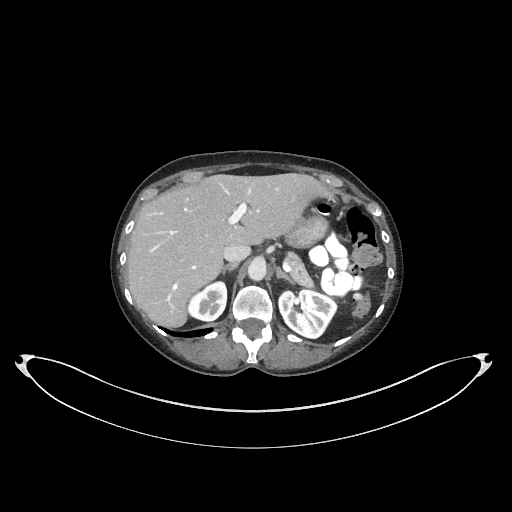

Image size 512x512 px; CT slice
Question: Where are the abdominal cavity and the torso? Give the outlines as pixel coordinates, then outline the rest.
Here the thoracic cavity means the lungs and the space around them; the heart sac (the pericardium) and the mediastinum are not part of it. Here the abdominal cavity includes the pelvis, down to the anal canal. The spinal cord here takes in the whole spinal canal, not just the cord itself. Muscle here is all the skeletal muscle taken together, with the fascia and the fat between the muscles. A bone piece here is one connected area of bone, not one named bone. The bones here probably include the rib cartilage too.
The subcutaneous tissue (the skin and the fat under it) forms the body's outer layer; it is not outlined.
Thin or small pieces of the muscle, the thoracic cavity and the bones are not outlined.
Answer: The abdominal cavity is outlined by 325 344; 334 343; 369 319; 381 301; 387 277; 380 229; 360 196; 307 172; 249 166; 174 183; 144 201; 130 233; 126 275; 134 303; 150 321; 174 331; 214 329; 231 307; 236 292; 245 285; 257 284; 268 291; 277 315; 290 332. The torso is outlined by 212 376; 232 376; 248 368; 273 376; 317 372; 363 350; 390 321; 403 285; 404 262; 399 232; 383 200; 345 166; 324 158; 270 150; 196 153; 161 165; 129 196; 116 223; 109 253; 110 280; 119 308; 136 333; 165 358; 188 370. The muscle appears in 2 outlined pieces: piece 1: 216 370; 234 369; 247 363; 245 361; 247 357; 245 347; 243 344; 235 343; 231 339; 230 331; 235 324; 231 308; 229 309; 226 317; 215 329; 218 331; 218 335; 215 338; 184 338; 169 334; 165 337; 152 328; 152 323; 139 311; 135 304; 130 305; 124 297; 123 289; 127 286; 125 264; 122 266; 119 263; 118 258; 122 251; 127 250; 129 234; 127 235; 124 233; 124 226; 129 220; 135 219; 139 207; 143 203; 143 201; 139 198; 140 196; 149 188; 156 187; 159 191; 174 182; 181 181; 181 176; 190 171; 200 170; 204 173; 203 175; 205 175; 216 171; 224 171; 243 166; 263 165; 307 171; 316 176; 320 173; 332 174; 343 181; 344 184; 341 187; 348 187; 353 192; 360 195; 365 200; 367 205; 370 202; 379 205; 351 181; 329 171; 314 167; 289 163; 284 164; 247 161; 242 163; 215 164; 184 169; 151 183; 139 193; 122 228; 117 247; 118 257; 116 268; 118 272; 119 286; 124 299; 134 315; 170 350; 190 362; piece 2: 276 370; 302 368; 321 362; 366 334; 379 320; 389 303; 397 280; 393 238; 383 212; 374 218; 390 237; 390 241; 384 243; 386 264; 394 269; 395 275; 392 279; 386 280; 381 302; 385 304; 382 313; 377 318; 373 315; 350 334; 352 337; 348 341; 334 347; 333 343; 325 345; 304 340; 299 343; 290 342; 285 336; 289 332; 273 308; 273 337; 270 342; 263 343; 258 350; 257 365. The bones appear in 8 outlined pieces: piece 1: 248 363; 257 362; 257 350; 263 342; 270 341; 272 337; 270 325; 272 315; 271 300; 267 291; 257 285; 248 285; 241 288; 237 292; 232 303; 232 312; 236 321; 236 324; 231 331; 232 339; 235 342; 244 344; 248 352; 246 361; inner edge: 251 338; 256 337; 257 336; 258 336; 260 334; 260 330; 261 329; 261 328; 263 326; 263 322; 261 320; 259 320; 258 319; 256 319; 255 318; 248 318; 247 319; 245 319; 240 322; 240 326; 243 329; 243 330; 244 331; 244 333; piece 2: 335 186; 341 186; 343 184; 342 181; 340 179; 339 179; 338 178; 337 178; 332 175; 323 175; 322 174; 320 174; 319 175; 318 175; 318 177; 322 181; 323 181; 326 183; 328 183; 329 184; 331 184; 332 185; 334 185; piece 3: 183 181; 187 181; 188 180; 191 180; 192 179; 196 179; 197 178; 198 178; 199 177; 200 177; 203 174; 203 173; 200 171; 197 171; 196 172; 190 172; 189 173; 187 173; 186 174; 185 174; 182 176; 182 180; piece 4: 375 216; 379 216; 382 213; 382 210; 381 209; 381 208; 379 206; 378 206; 377 205; 373 205; 372 204; 371 204; 370 203; 369 204; 368 204; 368 205; 367 206; 367 209; 373 215; 374 215; piece 5: 142 200; 145 200; 146 199; 148 199; 150 197; 152 197; 156 193; 157 193; 157 192; 158 191; 157 190; 157 189; 156 188; 152 188; 151 189; 149 189; 148 190; 147 190; 145 192; 144 192; 144 193; 141 196; 141 197; 140 198; piece 6: 334 346; 336 346; 337 345; 339 345; 340 344; 341 344; 342 343; 345 342; 347 340; 348 340; 351 337; 351 335; 348 335; 345 337; 343 337; 342 338; 341 338; 340 339; 337 340; 336 341; 336 342; 335 343; 335 345; piece 7: 165 336; 167 336; 168 335; 168 334; 167 333; 166 333; 162 329; 161 329; 157 325; 156 325; 155 324; 154 324; 153 323; 152 324; 152 326; 153 327; 153 328; 154 328; 159 333; 160 333; 162 335; 164 335; piece 8: 375 317; 377 317; 381 313; 381 312; 383 310; 383 308; 384 307; 384 304; 383 303; 381 303; 379 305; 379 306; 378 307; 378 308; 376 310; 376 311; 375 312; 375 313; 374 314; 374 316. The spinal cord is outlined by 251 338; 256 337; 257 336; 258 336; 260 334; 260 330; 261 329; 261 328; 263 326; 263 322; 261 320; 259 320; 258 319; 256 319; 255 318; 248 318; 247 319; 245 319; 240 322; 240 326; 243 329; 243 330; 244 331; 244 333. The thoracic cavity is outlined by 184 337; 191 337; 192 336; 201 336; 203 334; 207 333; 213 329; 212 328; 205 328; 204 329; 193 330; 192 331; 188 331; 187 332; 174 332; 173 331; 168 330; 166 328; 160 327; 166 332; 170 334; 176 335; 177 336; 183 336.